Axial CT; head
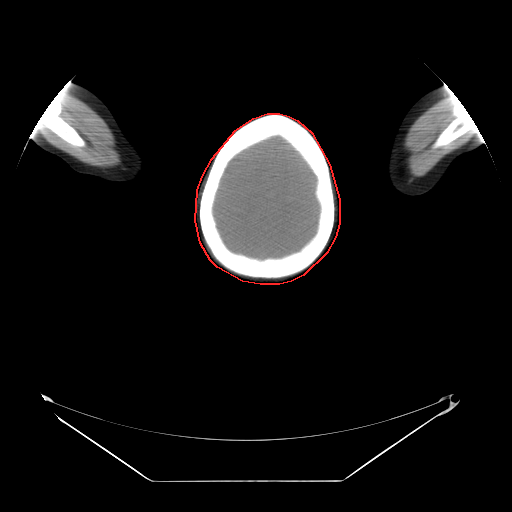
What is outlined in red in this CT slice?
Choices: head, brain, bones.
red: head.
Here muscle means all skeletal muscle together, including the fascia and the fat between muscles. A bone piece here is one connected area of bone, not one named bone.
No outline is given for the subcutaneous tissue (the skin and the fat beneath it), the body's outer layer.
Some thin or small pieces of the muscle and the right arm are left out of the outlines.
The head is outlined by (267, 113) (279, 113) (289, 116) (297, 120) (311, 132) (329, 164) (339, 199) (339, 223) (335, 237) (326, 253) (303, 275) (291, 281) (279, 284) (260, 284) (242, 281) (217, 267) (210, 260) (200, 243) (195, 220) (197, 190) (202, 176) (212, 158) (235, 130) (253, 118). The left arm is outlined by (444, 84) (457, 97) (471, 116) (478, 129) (481, 139) (483, 141) (481, 143) (483, 144) (474, 150) (464, 153) (457, 157) (450, 165) (442, 178) (429, 191) (416, 196) (408, 196) (401, 194) (392, 187) (387, 176) (387, 161) (393, 137) (402, 118) (413, 103) (431, 89). The bones appear in 3 outlined pieces: piece 1: (270, 113) (284, 114) (296, 120) (313, 135) (321, 147) (330, 170) (335, 206) (334, 223) (325, 247) (317, 258) (305, 269) (295, 274) (278, 278) (250, 277) (227, 269) (214, 258) (202, 235) (199, 221) (199, 204) (208, 172) (214, 157) (222, 144) (235, 130) (246, 122) with a hole at (274, 136) (279, 136) (290, 144) (298, 152) (314, 174) (316, 178) (314, 194) (319, 204) (319, 213) (315, 233) (298, 250) (280, 257) (266, 257) (261, 259) (248, 256) (242, 253) (238, 253) (228, 248) (217, 228) (213, 214) (213, 206) (221, 178) (229, 162) (243, 150); piece 2: (55, 97) (56, 97) (59, 100) (59, 103) (61, 106) (61, 113) (60, 114) (60, 117) (63, 120) (65, 120) (77, 131) (77, 132) (81, 136) (85, 142) (85, 145) (84, 146) (74, 146) (72, 145) (49, 129) (47, 126) (40, 120) (40, 117) (48, 105); piece 3: (457, 99) (458, 99) (461, 102) (461, 103) (467, 110) (476, 126) (474, 126) (469, 131) (467, 131) (446, 145) (440, 146) (439, 147) (433, 147) (432, 145) (438, 135) (439, 135) (447, 127) (450, 122) (457, 117) (454, 109) (454, 104) (455, 103) (455, 101). The muscle appears in 2 outlined pieces: piece 1: (60, 90) (74, 95) (104, 119) (116, 140) (116, 146) (122, 159) (120, 165) (111, 168) (101, 168) (86, 164) (53, 146) (41, 135) (35, 127) (39, 119) (49, 130) (72, 146) (84, 147) (86, 145) (85, 140) (78, 131) (61, 117) (62, 106) (60, 100) (55, 96); piece 2: (453, 96) (457, 97) (453, 104) (456, 117) (437, 135) (431, 146) (433, 148) (446, 146) (469, 132) (474, 127) (477, 127) (478, 131) (474, 134) (472, 139) (443, 157) (425, 175) (413, 179) (407, 170) (405, 162) (403, 149) (404, 137) (409, 127) (425, 110) (440, 99). The right arm is outlined by (69, 82) (78, 83) (89, 89) (97, 95) (109, 108) (124, 134) (137, 149) (143, 159) (144, 167) (137, 179) (127, 182) (108, 181) (92, 175) (78, 173) (69, 167) (59, 157) (43, 150) (36, 145) (32, 140) (32, 138) (34, 137) (33, 131) (38, 120) (58, 92). The brain is outlined by (274, 136) (279, 136) (290, 144) (298, 152) (314, 174) (316, 178) (314, 194) (319, 204) (319, 213) (315, 233) (298, 250) (280, 257) (266, 257) (261, 259) (248, 256) (242, 253) (238, 253) (228, 248) (217, 228) (213, 214) (213, 206) (221, 178) (229, 162) (243, 150).